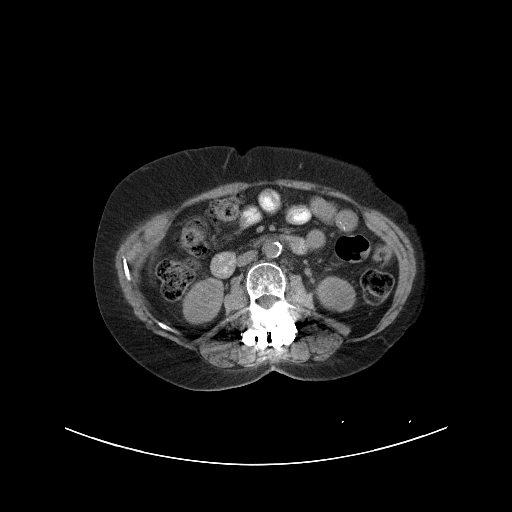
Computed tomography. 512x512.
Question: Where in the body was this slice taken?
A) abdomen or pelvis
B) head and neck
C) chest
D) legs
Answer: A) abdomen or pelvis
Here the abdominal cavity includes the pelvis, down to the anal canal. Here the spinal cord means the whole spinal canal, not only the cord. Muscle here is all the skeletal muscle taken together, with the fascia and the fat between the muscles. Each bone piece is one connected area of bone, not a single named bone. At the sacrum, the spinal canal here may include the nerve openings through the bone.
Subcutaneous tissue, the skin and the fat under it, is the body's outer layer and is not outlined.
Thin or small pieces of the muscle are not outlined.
abdominal cavity: 264 184; 314 190; 351 203; 393 249; 397 284; 390 306; 375 323; 353 329; 319 313; 302 277; 292 272; 287 277; 270 261; 253 264; 244 281; 242 273; 230 280; 224 317; 198 336; 152 313; 140 290; 140 271; 175 216; 198 202
muscle: 279 178; 281 179; 293 179; 294 180; 309 181; 310 182; 318 183; 325 186; 332 187; 334 189; 338 190; 352 197; 362 205; 376 209; 390 218; 399 226; 407 235; 413 246; 415 252; 416 274; 412 284; 412 288; 406 301; 403 305; 402 309; 395 319; 390 324; 381 331; 376 333; 374 335; 368 337; 366 339; 359 341; 352 341; 351 342; 343 343; 336 352; 325 361; 315 363; 314 365; 298 365; 294 363; 290 363; 281 357; 272 356; 263 364; 252 369; 246 369; 245 370; 225 370; 224 369; 219 369; 213 367; 210 365; 209 363; 206 362; 198 353; 187 348; 185 348; 168 338; 154 333; 150 329; 147 328; 145 324; 135 315; 133 311; 133 308; 126 301; 119 284; 118 276; 115 267; 115 254; 122 239; 128 232; 139 222; 147 219; 151 215; 153 215; 162 210; 173 208; 177 206; 187 198; 189 198; 201 192; 209 190; 219 185; 226 183; 230 183; 236 181; 252 182; 253 181; 263 180; 264 179; 272 180; inner edges: 264 184; 314 190; 351 203; 361 212; 366 225; 393 249; 398 265; 397 284; 390 306; 375 323; 363 329; 353 329; 319 313; 314 306; 313 294; 304 285; 302 277; 290 272; 284 297; 310 314; 290 310; 287 322; 269 333; 259 331; 247 313; 227 320; 249 304; 242 273; 230 280; 229 291; 223 297; 224 317; 209 330; 192 337; 159 326; 140 290; 140 271; 172 220; 184 208; 198 202, then 123 256; 124 256; 126 258; 126 260; 127 261; 127 264; 128 265; 128 268; 129 269; 129 272; 130 273; 130 280; 127 280; 127 279; 126 278; 126 277; 125 276; 125 273; 124 272; 124 269; 123 268
bones 1: 260 262; 274 263; 281 268; 287 278; 284 297; 289 303; 308 310; 310 314; 306 314; 304 311; 290 310; 287 315; 287 322; 269 333; 259 331; 254 323; 250 322; 247 313; 227 320; 249 304; 249 296; 245 286; 246 274; 253 265, around a hole outlined by 264 295; 271 295; 272 296; 274 296; 275 297; 276 297; 276 300; 275 300; 273 302; 273 303; 268 308; 265 308; 264 307; 263 307; 262 306; 261 306; 259 304; 259 303; 258 302; 258 300; 262 296; 263 296
bones 2: 123 256; 124 256; 126 258; 126 260; 127 261; 127 264; 128 265; 128 268; 129 269; 129 272; 130 273; 130 280; 127 280; 127 279; 126 278; 126 277; 125 276; 125 273; 124 272; 124 269; 123 268
bones 3: 158 320; 159 321; 164 323; 166 325; 167 325; 168 326; 175 329; 177 331; 177 333; 175 333; 174 332; 169 331; 168 330; 167 330; 166 329; 164 329; 163 328; 162 328; 160 326; 159 326; 159 325; 157 323; 157 321
spinal cord: 264 295; 271 295; 272 296; 274 296; 275 297; 276 297; 276 300; 275 300; 273 302; 273 303; 268 308; 265 308; 264 307; 263 307; 262 306; 261 306; 259 304; 259 303; 258 302; 258 300; 262 296; 263 296
torso: 260 142; 325 148; 361 160; 377 169; 396 194; 406 196; 430 249; 425 303; 401 339; 376 363; 351 376; 314 382; 271 371; 229 389; 182 388; 136 362; 102 318; 93 281; 100 217; 114 186; 146 161; 186 147; 231 143; 245 148